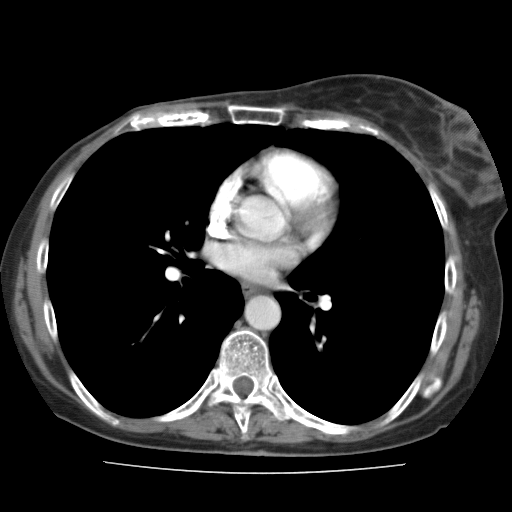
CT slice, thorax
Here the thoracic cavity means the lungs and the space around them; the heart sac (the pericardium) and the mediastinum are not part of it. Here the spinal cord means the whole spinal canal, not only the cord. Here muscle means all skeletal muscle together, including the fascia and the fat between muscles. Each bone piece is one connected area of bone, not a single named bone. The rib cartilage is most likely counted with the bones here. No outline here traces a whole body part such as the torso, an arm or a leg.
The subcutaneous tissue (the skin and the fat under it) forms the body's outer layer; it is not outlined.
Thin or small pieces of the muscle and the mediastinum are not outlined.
The mediastinum is outlined by 288 275; 287 282; 289 289; 277 291; 274 294; 281 307; 281 319; 277 326; 271 332; 268 340; 268 345; 257 333; 250 329; 240 328; 230 331; 236 320; 242 314; 244 308; 244 299; 241 288; 236 280; 243 285; 273 288; 284 280. The bones appear in 13 outlined pieces: piece 1: 240 329; 254 332; 266 343; 280 385; 299 406; 329 422; 360 428; 347 434; 328 434; 294 419; 279 420; 256 404; 250 407; 245 440; 232 405; 226 402; 211 407; 204 402; 183 418; 154 420; 197 392; 217 365; 224 338; inner edge: 243 376; 249 378; 252 381; 252 383; 253 384; 252 386; 252 389; 250 391; 250 392; 248 393; 244 397; 242 397; 240 396; 235 391; 233 387; 233 383; 234 381; 236 379; 240 377; 242 377; piece 2: 192 109; 208 111; 212 115; 219 117; 219 121; 216 123; 210 124; 208 122; 203 122; 199 125; 174 125; 173 126; 148 127; 135 131; 125 131; 111 138; 111 135; 114 130; 135 113; 146 115; 149 113; 158 111; 181 112; piece 3: 228 104; 241 104; 242 105; 267 106; 268 107; 281 107; 284 106; 286 107; 287 109; 286 110; 285 118; 282 124; 279 124; 278 125; 259 124; 258 123; 241 123; 238 124; 237 123; 233 123; 229 120; 228 116; 226 113; 226 106; piece 4: 338 117; 353 119; 360 123; 369 125; 374 128; 376 128; 386 137; 386 140; 379 139; 369 134; 361 134; 360 133; 355 133; 343 130; 318 129; 310 127; 300 127; 297 124; 297 119; 300 118; 316 119; 317 118; 337 118; piece 5: 70 368; 71 368; 71 369; 80 380; 84 387; 91 394; 91 395; 107 411; 108 411; 113 416; 117 418; 120 421; 118 425; 114 426; 110 424; 108 422; 99 417; 86 406; 79 396; 75 392; 70 383; 70 381; 68 378; 68 370; piece 6: 421 371; 424 373; 424 376; 422 379; 420 387; 417 393; 409 403; 409 404; 401 412; 401 413; 393 420; 390 421; 388 423; 382 426; 378 426; 378 422; 381 416; 384 414; 402 396; 402 395; 406 391; 408 387; 411 384; 419 372; piece 7: 443 309; 445 309; 447 311; 447 317; 446 318; 446 324; 447 325; 446 326; 445 335; 440 346; 438 348; 435 354; 433 356; 430 356; 429 355; 429 349; 430 348; 430 344; 431 343; 434 328; 437 321; 438 315; 440 311; piece 8: 429 183; 432 183; 433 184; 444 204; 444 207; 445 208; 446 214; 447 215; 447 224; 448 225; 448 230; 446 231; 442 229; 442 227; 440 224; 440 222; 439 221; 439 219; 438 218; 435 207; 433 204; 432 199; 428 191; 427 185; piece 9: 450 254; 452 254; 455 258; 455 268; 456 269; 456 281; 455 282; 455 286; 454 287; 454 290; 452 294; 448 294; 447 293; 445 293; 445 285; 444 284; 444 280; 445 279; 445 261; 448 255; piece 10: 46 297; 49 297; 51 304; 52 305; 52 307; 53 308; 53 311; 54 312; 55 322; 56 323; 56 327; 57 328; 57 335; 58 336; 58 340; 56 342; 55 342; 52 339; 46 326; 46 323; 44 318; 43 302; 44 301; 44 299; piece 11: 70 172; 74 172; 75 174; 71 182; 69 184; 65 193; 63 195; 60 202; 58 204; 55 211; 52 211; 50 209; 50 201; 51 200; 52 195; 55 189; 57 187; 58 184; 61 181; 61 180; 68 173; piece 12: 43 237; 47 237; 48 238; 48 251; 47 252; 47 265; 46 266; 46 270; 45 271; 45 273; 39 273; 37 270; 37 265; 36 264; 36 257; 37 256; 37 250; 38 249; 38 246; 39 245; 39 243; 40 242; 41 239; piece 13: 436 376; 438 376; 439 377; 440 377; 442 380; 442 385; 441 386; 441 387; 430 397; 429 397; 428 398; 425 398; 424 397; 423 397; 422 396; 422 391; 423 390; 423 389; 429 384; 430 384; 432 382; 432 381; 433 380; 433 378. The pericardium is outlined by 268 146; 275 146; 294 150; 325 166; 337 181; 339 199; 336 221; 329 235; 321 245; 299 263; 284 279; 273 287; 243 284; 234 277; 214 267; 206 258; 204 252; 205 230; 208 221; 208 215; 210 207; 220 185; 225 178; 242 163. The muscle is outlined by 220 100; 236 103; 225 106; 228 120; 224 121; 199 108; 133 113; 54 189; 49 201; 54 212; 49 236; 40 239; 35 264; 37 272; 46 276; 45 326; 51 339; 59 341; 70 366; 67 378; 72 389; 89 410; 114 427; 121 421; 109 411; 166 423; 195 413; 204 403; 209 408; 230 404; 245 441; 249 439; 251 407; 256 405; 279 421; 294 420; 324 434; 347 435; 358 431; 359 424; 380 416; 377 426; 382 427; 410 404; 425 376; 420 370; 428 353; 433 357; 445 338; 448 311; 441 305; 444 294; 454 293; 457 281; 456 258; 452 253; 445 257; 443 231; 449 230; 445 204; 434 184; 426 186; 376 127; 342 116; 300 117; 297 126; 287 126; 283 123; 288 108; 272 106; 293 103; 345 112; 375 123; 427 165; 448 205; 460 242; 464 280; 481 302; 480 321; 473 380; 427 421; 335 447; 267 441; 252 447; 234 447; 223 441; 192 444; 133 436; 111 427; 31 375; 13 314; 13 288; 38 205; 49 184; 84 145; 136 111; inner edge: 436 376; 438 376; 439 377; 440 377; 442 380; 442 385; 441 386; 441 387; 430 397; 429 397; 428 398; 425 398; 424 397; 423 397; 422 396; 422 391; 423 390; 423 389; 429 384; 430 384; 432 382; 432 381; 433 380; 433 378. The thoracic cavity is outlined by 225 121; 369 135; 426 187; 444 293; 418 373; 378 417; 319 417; 271 365; 275 294; 340 212; 332 172; 274 144; 225 177; 209 207; 201 258; 238 283; 243 308; 196 392; 164 413; 125 416; 68 362; 46 271; 76 173; 125 132. The spinal cord is outlined by 243 376; 249 378; 252 381; 252 383; 253 384; 252 386; 252 389; 250 391; 250 392; 248 393; 244 397; 242 397; 240 396; 235 391; 233 387; 233 383; 234 381; 236 379; 240 377; 242 377.